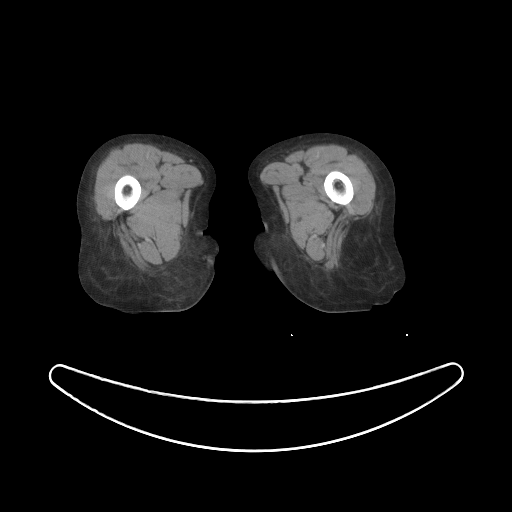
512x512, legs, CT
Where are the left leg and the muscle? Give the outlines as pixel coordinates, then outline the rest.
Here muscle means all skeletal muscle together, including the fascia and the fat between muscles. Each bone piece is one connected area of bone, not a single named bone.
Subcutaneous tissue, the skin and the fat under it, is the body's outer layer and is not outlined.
{"left_leg":[[[311,132],[343,134],[365,144],[382,160],[394,182],[396,195],[394,231],[406,270],[406,281],[389,303],[375,305],[369,311],[327,313],[307,305],[296,298],[262,266],[254,251],[254,236],[264,226],[248,182],[248,167],[254,157],[266,147],[286,138]]],"muscle":[{"outer":[[133,142],[149,143],[180,156],[195,165],[204,180],[203,184],[194,190],[190,198],[188,230],[182,242],[181,251],[168,269],[159,272],[144,272],[135,267],[124,253],[118,240],[113,236],[110,225],[98,217],[95,211],[93,194],[98,166],[112,148]],"hole":[[125,174],[130,174],[134,176],[138,180],[141,186],[141,194],[140,195],[140,198],[133,207],[127,210],[123,210],[119,206],[118,206],[115,202],[115,200],[114,199],[114,186],[115,185],[115,183],[116,181],[121,176]]},{"outer":[[331,143],[344,146],[357,154],[366,163],[376,184],[375,208],[367,217],[352,224],[342,243],[341,266],[333,271],[322,269],[313,264],[299,251],[285,229],[282,214],[272,190],[263,184],[259,177],[262,169],[270,162],[282,161],[290,153],[312,145]],"hole":[[332,170],[338,170],[339,171],[341,171],[349,177],[352,183],[352,185],[353,186],[353,197],[350,201],[350,202],[346,205],[342,205],[341,204],[338,204],[332,201],[327,196],[324,190],[324,188],[323,187],[323,182],[324,181],[325,176],[330,171]]}],"right_leg":[[[130,132],[158,133],[179,139],[199,150],[211,162],[216,173],[216,186],[209,203],[209,221],[205,230],[217,240],[219,247],[214,276],[199,301],[182,311],[128,313],[104,306],[89,297],[78,278],[80,227],[76,214],[76,194],[83,168],[102,143]]],"bones":[[[332,170],[338,170],[339,171],[341,171],[349,177],[352,183],[352,185],[353,186],[353,197],[350,201],[350,202],[346,205],[342,205],[341,204],[338,204],[332,201],[327,196],[324,190],[324,188],[323,187],[323,182],[324,181],[325,176],[330,171]],[[125,174],[130,174],[134,176],[138,180],[141,186],[141,194],[140,195],[140,198],[133,207],[127,210],[123,210],[119,206],[118,206],[115,202],[115,200],[114,199],[114,186],[115,185],[115,183],[116,181],[121,176]]]}